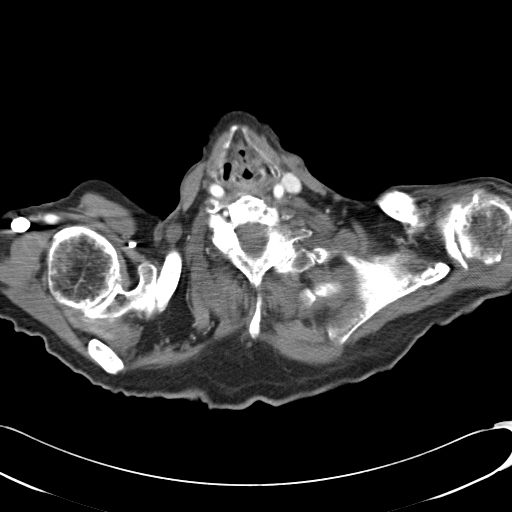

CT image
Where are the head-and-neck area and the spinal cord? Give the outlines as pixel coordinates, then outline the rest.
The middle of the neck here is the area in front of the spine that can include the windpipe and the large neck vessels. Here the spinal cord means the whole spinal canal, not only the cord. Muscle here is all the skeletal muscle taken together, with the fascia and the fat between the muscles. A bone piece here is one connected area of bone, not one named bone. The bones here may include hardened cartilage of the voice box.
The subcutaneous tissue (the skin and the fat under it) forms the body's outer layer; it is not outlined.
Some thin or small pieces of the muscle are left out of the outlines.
{"head_and_neck":[[[233,109],[247,110],[269,124],[283,147],[301,157],[309,172],[329,187],[321,201],[322,236],[299,278],[298,289],[276,348],[269,355],[255,359],[213,347],[210,343],[191,313],[183,275],[163,218],[178,204],[182,177],[200,158],[210,127],[220,115]]],"spinal_cord":[[[248,224],[250,225],[258,225],[260,226],[261,228],[260,232],[261,234],[266,238],[264,248],[261,252],[260,255],[257,257],[252,257],[250,256],[243,250],[241,246],[241,243],[240,242],[240,239],[238,234],[238,229],[240,227],[245,226]]],"torso":[[[476,176],[463,239],[485,300],[358,383],[279,406],[209,409],[112,393],[48,353],[39,336],[17,332],[70,326],[123,281],[117,242],[64,196],[84,180],[106,180],[163,219],[209,343],[255,360],[277,348],[323,236],[329,188],[374,200],[393,184]]],"middle_of_the_neck":[[[237,132],[240,132],[261,156],[273,177],[281,173],[293,174],[301,183],[301,192],[297,195],[284,195],[278,201],[269,195],[259,197],[242,193],[236,199],[232,198],[222,203],[205,190],[202,186],[204,181],[209,180],[217,184],[223,181],[225,156]]],"left_arm":[[[481,176],[494,176],[505,179],[511,182],[511,294],[504,295],[503,296],[497,296],[488,299],[485,299],[483,291],[481,288],[477,274],[475,271],[471,257],[469,254],[464,239],[464,223],[465,222],[468,197],[470,194],[470,192]]],"bones":[[[73,225],[86,226],[111,243],[117,253],[120,283],[126,291],[139,281],[139,264],[152,264],[158,275],[165,255],[171,249],[178,250],[182,258],[181,272],[165,309],[161,312],[130,310],[112,319],[90,318],[59,303],[48,287],[47,251],[53,235]],{"outer":[[242,194],[261,198],[278,211],[289,210],[290,219],[279,224],[282,229],[308,228],[310,233],[294,243],[298,251],[318,246],[331,251],[331,257],[293,275],[281,274],[271,268],[256,289],[211,242],[213,231],[206,210],[214,207],[212,199],[228,204]],"hole":[[248,224],[250,225],[258,225],[260,226],[261,228],[260,232],[261,234],[266,238],[264,248],[261,252],[260,255],[257,257],[252,257],[250,256],[243,250],[241,246],[241,243],[240,242],[240,239],[238,234],[238,229],[240,227],[245,226]]},[[475,190],[481,190],[490,195],[498,195],[511,205],[511,234],[498,262],[485,264],[481,261],[469,260],[468,268],[465,269],[457,260],[447,254],[440,232],[442,223],[449,214],[451,204],[454,202],[460,202],[463,205],[466,204],[470,201]],[[344,254],[368,261],[376,256],[389,256],[396,260],[399,268],[411,274],[440,260],[449,266],[449,271],[441,279],[389,303],[361,324],[344,343],[338,344],[329,338],[327,328],[338,329],[363,307],[357,294],[358,280],[355,271],[345,260]],[[393,190],[397,190],[398,191],[404,192],[413,198],[413,203],[416,206],[416,210],[418,212],[418,221],[416,221],[415,222],[411,222],[408,224],[407,223],[401,222],[385,213],[378,206],[376,203],[376,198],[377,198],[382,193],[386,191],[392,191]],[[93,338],[96,338],[97,339],[102,341],[110,348],[111,348],[116,353],[116,354],[122,360],[122,361],[123,362],[124,367],[122,370],[119,371],[117,373],[108,373],[106,371],[105,371],[89,355],[89,354],[88,353],[88,343],[89,342],[89,341]],[[234,124],[240,128],[245,128],[248,139],[278,167],[280,173],[277,176],[273,176],[271,174],[262,156],[239,129],[233,134],[230,145],[225,151],[222,181],[219,183],[215,181],[214,176],[217,169],[217,159],[223,143],[229,136],[230,127]],[[319,282],[337,282],[341,285],[341,289],[337,293],[334,293],[326,297],[321,297],[320,296],[318,296],[316,298],[315,301],[309,307],[306,307],[303,305],[302,302],[299,298],[299,293],[300,291],[306,287],[311,287],[314,284],[318,283]],[[258,292],[260,292],[262,295],[262,306],[261,307],[261,319],[260,320],[260,330],[259,331],[259,333],[256,337],[256,338],[254,339],[250,336],[250,334],[248,330],[248,327],[249,326],[250,321],[255,311],[255,303],[256,302],[256,295]]],"right_arm":[[[62,197],[64,197],[83,216],[85,216],[104,226],[116,242],[119,249],[122,270],[122,281],[70,325],[27,325],[16,331],[14,329],[13,324],[9,320],[0,318],[0,216],[5,211],[13,207],[25,207],[30,205],[38,205],[41,203],[54,201]]],"muscle":[{"outer":[[234,120],[265,133],[330,193],[375,200],[408,225],[419,212],[407,193],[511,187],[511,204],[481,189],[452,202],[439,232],[465,270],[469,261],[498,263],[511,235],[511,287],[459,291],[364,335],[330,364],[292,360],[255,339],[260,291],[249,336],[195,360],[118,373],[123,360],[96,337],[87,353],[98,365],[85,358],[1,291],[1,228],[75,207],[90,190],[130,209],[146,234],[158,223],[185,225],[185,179]],"holes":[[[234,124],[245,128],[280,173],[301,183],[297,195],[278,201],[261,197],[278,211],[290,211],[282,229],[308,228],[295,248],[318,246],[332,254],[293,275],[271,268],[259,289],[211,242],[206,209],[214,207],[214,197],[202,186],[215,181],[217,159]],[[73,225],[86,226],[111,243],[117,253],[120,283],[126,291],[139,281],[139,264],[152,264],[158,275],[165,255],[171,249],[178,250],[182,258],[181,272],[165,309],[161,312],[130,310],[112,319],[90,318],[59,303],[48,287],[47,251],[53,235]],[[344,254],[368,261],[376,256],[389,256],[396,260],[399,268],[411,274],[440,260],[449,266],[449,271],[441,279],[389,303],[361,324],[344,343],[338,344],[329,338],[327,328],[338,329],[363,307],[357,294],[358,280],[355,271],[345,260]],[[319,282],[337,282],[341,285],[341,289],[337,293],[334,293],[326,297],[321,297],[320,296],[318,296],[316,298],[315,301],[309,307],[306,307],[303,305],[302,302],[299,298],[299,293],[300,291],[306,287],[311,287],[314,284],[318,283]]]}]}